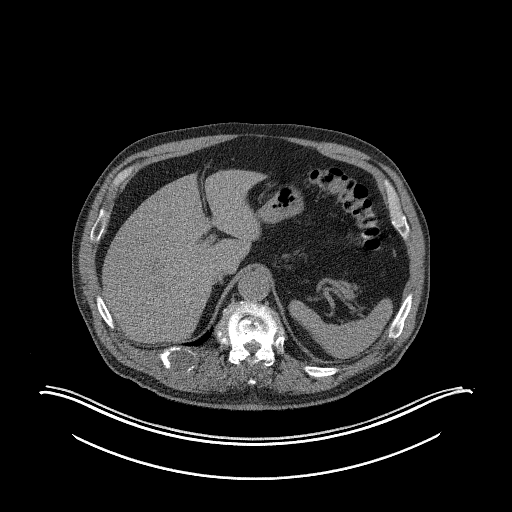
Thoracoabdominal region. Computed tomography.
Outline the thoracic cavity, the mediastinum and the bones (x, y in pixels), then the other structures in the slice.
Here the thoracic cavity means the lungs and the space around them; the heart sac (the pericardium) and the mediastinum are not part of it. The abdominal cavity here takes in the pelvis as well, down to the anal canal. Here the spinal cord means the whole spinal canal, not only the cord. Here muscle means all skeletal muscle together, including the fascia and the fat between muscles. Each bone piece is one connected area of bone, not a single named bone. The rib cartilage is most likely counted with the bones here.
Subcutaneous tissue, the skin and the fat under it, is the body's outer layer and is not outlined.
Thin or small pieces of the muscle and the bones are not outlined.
{"thoracic_cavity":[[[211,329],[213,330],[212,337],[206,343],[198,347],[188,347],[187,346],[181,346],[182,346],[186,343],[188,343],[194,340],[196,340],[198,338],[202,336],[206,332],[207,332],[208,330],[210,330]]],"mediastinum":[[[251,268],[258,268],[267,272],[270,278],[272,295],[275,304],[279,309],[280,314],[271,306],[268,307],[257,302],[249,302],[246,300],[236,300],[231,302],[225,307],[217,322],[216,329],[212,329],[211,326],[227,294],[232,289],[240,276],[246,270]]],"bones":[{"outer":[[236,301],[246,301],[268,308],[271,307],[278,314],[286,338],[284,352],[281,354],[275,352],[275,361],[272,365],[266,366],[264,360],[251,365],[246,360],[241,360],[238,364],[227,360],[230,346],[221,345],[214,330],[217,329],[218,322],[226,307]],"hole":[[252,341],[254,341],[255,342],[256,342],[257,343],[258,343],[258,344],[259,345],[259,348],[256,351],[255,351],[253,353],[251,353],[247,349],[246,349],[244,346],[244,345],[245,344],[246,344],[247,343],[249,343]]},[[385,178],[387,178],[393,185],[397,194],[397,196],[399,199],[399,205],[401,211],[405,216],[409,226],[409,234],[408,237],[405,240],[402,238],[391,222],[391,216],[390,215],[389,206],[387,202],[387,196],[386,195],[385,188],[383,185],[383,180]],[[171,346],[187,347],[193,351],[195,353],[195,355],[194,356],[192,355],[187,356],[186,357],[187,358],[187,361],[182,365],[176,364],[175,363],[172,363],[169,368],[166,368],[164,366],[161,359],[158,356],[158,354],[160,353],[164,348],[167,348]],[[409,292],[411,292],[412,293],[412,303],[411,304],[410,310],[407,314],[407,316],[405,318],[405,320],[404,321],[404,325],[403,326],[402,331],[400,335],[396,338],[389,338],[387,335],[388,334],[388,329],[390,326],[390,324],[396,315],[404,298]],[[101,207],[103,207],[108,212],[109,212],[109,217],[108,218],[108,221],[105,227],[105,230],[104,232],[102,234],[98,243],[95,243],[94,242],[91,242],[90,241],[89,236],[90,235],[90,231],[91,230],[91,228],[98,215],[99,210]],[[304,365],[313,365],[314,366],[320,366],[321,367],[327,367],[328,366],[337,366],[339,367],[339,370],[336,373],[332,374],[331,375],[328,375],[327,376],[320,376],[319,377],[315,377],[314,376],[311,376],[307,374],[304,371],[303,369],[303,366]],[[98,294],[101,296],[107,309],[109,311],[109,313],[111,315],[111,317],[115,325],[114,328],[112,329],[110,328],[109,326],[105,322],[105,321],[101,316],[97,308],[97,306],[96,305],[96,295]],[[131,165],[133,166],[133,169],[131,173],[127,177],[126,177],[125,179],[123,181],[122,181],[121,183],[120,183],[116,187],[112,185],[112,182],[115,176],[120,171],[121,171],[126,167],[128,166],[130,166]]],"spinal_cord":[[[252,341],[254,341],[255,342],[256,342],[257,343],[258,343],[258,344],[259,345],[259,348],[256,351],[255,351],[253,353],[251,353],[247,349],[246,349],[244,346],[244,345],[245,344],[246,344],[247,343],[249,343]]],"torso":[[[218,122],[294,123],[356,136],[394,161],[424,214],[430,237],[430,285],[421,326],[395,366],[345,397],[280,410],[230,410],[186,404],[159,396],[118,375],[105,363],[93,342],[75,301],[71,274],[73,230],[90,189],[108,163],[130,143],[157,132]]],"muscle":[{"outer":[[238,133],[259,133],[267,135],[279,135],[280,136],[297,137],[298,138],[303,138],[315,141],[333,142],[359,150],[388,166],[397,174],[400,178],[416,212],[424,238],[425,253],[424,254],[423,288],[422,289],[421,299],[416,312],[414,328],[407,339],[385,359],[382,360],[371,368],[369,368],[363,372],[349,377],[346,380],[341,382],[332,388],[312,393],[301,393],[300,394],[291,394],[288,391],[284,393],[278,393],[271,388],[267,387],[261,387],[260,388],[256,386],[252,387],[247,386],[243,389],[228,389],[224,392],[211,391],[209,393],[197,393],[196,392],[183,391],[169,387],[163,384],[152,376],[139,370],[136,370],[131,367],[129,367],[118,361],[103,345],[95,331],[92,321],[91,311],[89,305],[84,297],[81,288],[82,284],[80,281],[80,276],[79,275],[78,255],[79,254],[80,243],[89,210],[91,208],[91,205],[98,191],[108,174],[113,168],[118,165],[128,156],[139,151],[146,150],[151,147],[163,143],[167,143],[172,141],[177,141],[188,138],[207,136],[208,135],[237,134]],"holes":[[[244,136],[283,140],[357,166],[384,194],[387,178],[399,199],[409,226],[403,297],[412,293],[410,310],[399,336],[386,333],[362,357],[338,364],[334,374],[307,374],[303,366],[311,364],[285,340],[272,365],[231,363],[230,346],[221,345],[214,332],[206,343],[189,348],[195,355],[184,364],[166,368],[158,356],[162,348],[135,345],[116,326],[110,328],[97,308],[98,244],[89,236],[100,208],[110,213],[145,166]],[[131,165],[133,166],[133,169],[131,173],[127,177],[126,177],[125,179],[123,181],[122,181],[121,183],[120,183],[116,187],[112,185],[112,182],[115,176],[120,171],[121,171],[126,167],[128,166],[130,166]],[[250,378],[251,378],[252,378],[253,378],[254,379],[255,380],[256,381],[256,382],[255,383],[254,384],[253,384],[252,384],[251,384],[250,384],[249,384],[248,384],[248,383],[247,382],[247,381],[248,380],[249,379]]]}],"abdominal_cavity":[[[244,136],[315,149],[367,171],[385,192],[390,222],[407,249],[408,279],[387,333],[355,361],[321,366],[296,356],[286,341],[271,278],[258,267],[248,268],[239,276],[210,329],[182,345],[140,347],[114,322],[101,295],[96,253],[118,194],[149,164]]]}